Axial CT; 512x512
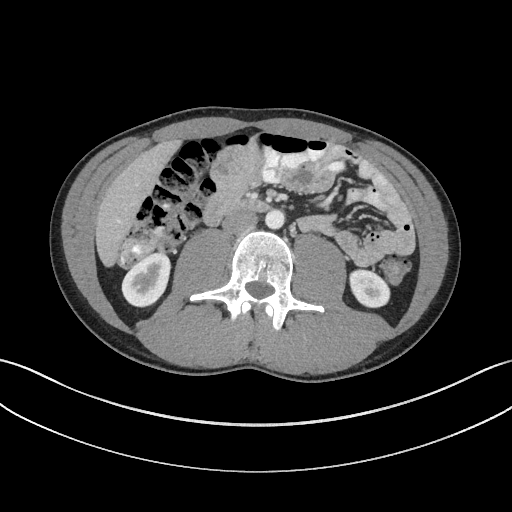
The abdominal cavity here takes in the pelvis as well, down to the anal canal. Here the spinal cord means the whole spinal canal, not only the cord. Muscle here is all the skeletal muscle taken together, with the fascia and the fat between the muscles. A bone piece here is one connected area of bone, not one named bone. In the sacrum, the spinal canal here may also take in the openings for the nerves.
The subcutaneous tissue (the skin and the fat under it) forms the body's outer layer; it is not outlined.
{"abdominal_cavity":[[[130,325],[153,313],[170,291],[183,245],[207,227],[229,231],[235,247],[257,230],[278,234],[291,248],[302,233],[327,238],[346,261],[343,300],[395,325],[417,277],[413,217],[369,157],[334,140],[246,127],[156,142],[110,181],[96,212],[99,281]]],"bones":[{"outer":[[276,330],[280,329],[286,313],[291,309],[323,312],[324,308],[292,295],[293,255],[290,248],[278,235],[257,231],[236,246],[229,280],[220,287],[193,293],[189,299],[220,300],[227,305],[231,320],[240,313],[251,310],[256,313],[262,307],[272,318]],"hole":[[257,298],[262,298],[263,297],[265,297],[266,296],[273,293],[273,292],[274,291],[274,289],[273,288],[273,287],[272,287],[264,281],[254,281],[253,282],[248,282],[245,286],[247,291],[250,294],[251,294],[253,296],[254,296]]}],"torso":[[[306,383],[361,375],[393,361],[412,348],[445,309],[459,272],[461,239],[452,204],[431,170],[410,151],[378,132],[332,115],[295,107],[187,108],[123,130],[86,152],[58,190],[48,237],[58,287],[83,325],[121,355],[162,371],[205,376],[253,369]]],"spinal_cord":[[[257,298],[262,298],[263,297],[265,297],[266,296],[273,293],[273,292],[274,291],[274,289],[273,288],[273,287],[272,287],[264,281],[254,281],[253,282],[248,282],[245,286],[247,291],[250,294],[251,294],[253,296],[254,296]]],"muscle":[{"outer":[[299,376],[310,376],[316,374],[324,374],[339,371],[346,369],[362,361],[383,342],[392,339],[412,326],[420,318],[436,294],[441,284],[448,261],[448,228],[442,211],[441,204],[431,185],[421,171],[403,155],[381,142],[372,140],[348,130],[343,130],[324,123],[299,118],[286,118],[285,117],[270,118],[249,122],[221,116],[198,117],[186,119],[164,125],[155,129],[150,129],[134,135],[129,135],[128,137],[124,137],[107,146],[92,157],[79,172],[68,191],[62,210],[62,220],[60,228],[63,250],[71,276],[78,289],[86,298],[89,304],[100,316],[114,327],[134,336],[145,348],[154,355],[173,364],[193,368],[214,368],[248,361],[264,365],[277,371],[290,373]],"hole":[[276,330],[291,309],[324,311],[290,291],[302,233],[344,255],[348,305],[397,323],[419,253],[396,188],[352,146],[256,127],[140,152],[94,227],[120,317],[151,315],[185,242],[212,227],[234,238],[230,278],[189,299],[220,300],[231,320],[262,307]]}]}